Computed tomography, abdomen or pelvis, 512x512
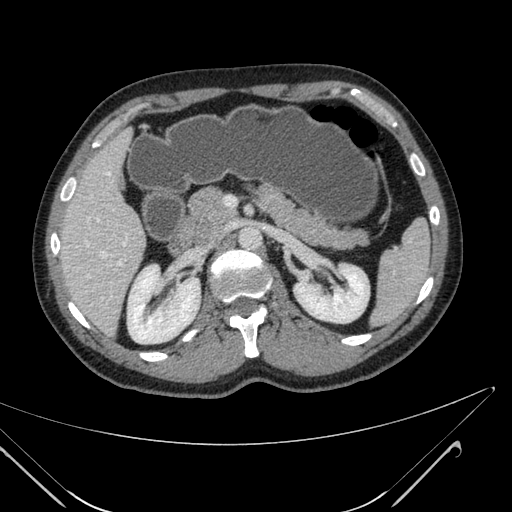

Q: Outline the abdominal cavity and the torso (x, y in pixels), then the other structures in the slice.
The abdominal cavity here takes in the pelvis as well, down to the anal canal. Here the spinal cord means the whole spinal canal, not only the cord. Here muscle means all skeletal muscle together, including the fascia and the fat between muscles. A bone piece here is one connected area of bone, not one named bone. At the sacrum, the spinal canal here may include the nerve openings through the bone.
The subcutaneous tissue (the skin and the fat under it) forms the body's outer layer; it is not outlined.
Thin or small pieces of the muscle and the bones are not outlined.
A: The abdominal cavity is outlined by [[139,350],[171,345],[191,328],[207,269],[230,248],[255,252],[273,264],[300,310],[333,330],[373,331],[397,319],[415,300],[431,260],[431,224],[398,135],[346,94],[278,100],[232,92],[143,111],[103,140],[65,209],[60,265],[68,292],[89,323]]. The torso is outlined by [[200,399],[218,399],[254,382],[314,393],[369,379],[419,346],[452,301],[463,266],[462,224],[452,184],[414,115],[367,73],[335,64],[292,62],[191,68],[145,77],[99,102],[53,167],[39,202],[31,245],[35,291],[47,320],[87,368],[114,385]]. The bones appear in 12 outlined pieces: piece 1: [[249,358],[259,355],[255,343],[257,327],[264,321],[268,313],[263,298],[269,290],[273,278],[268,266],[258,255],[246,250],[230,249],[218,255],[212,262],[210,288],[213,295],[225,305],[225,318],[229,326],[235,327],[241,332],[245,343],[244,353]] with a hole at [[243,317],[246,317],[247,316],[248,316],[257,308],[257,301],[255,299],[254,299],[253,298],[249,298],[248,297],[245,297],[244,296],[241,296],[240,297],[237,298],[235,300],[234,300],[231,303],[231,308],[232,309],[232,312],[233,313],[237,313]]; piece 2: [[392,127],[396,127],[398,125],[398,123],[394,118],[394,117],[381,104],[377,102],[369,95],[357,88],[351,88],[349,89],[349,93],[352,97],[360,101],[366,107],[369,108],[377,116],[380,117],[387,124],[390,125]]; piece 3: [[93,148],[100,146],[101,145],[100,144],[101,141],[103,139],[106,138],[124,121],[126,121],[130,115],[135,113],[138,110],[147,106],[149,103],[147,102],[143,102],[142,103],[137,104],[129,108],[124,113],[111,120],[96,136],[92,142],[91,146]]; piece 4: [[62,201],[67,201],[71,197],[71,196],[73,194],[73,193],[75,190],[75,188],[76,187],[76,184],[77,183],[77,180],[76,179],[76,178],[74,176],[70,176],[66,180],[66,181],[64,183],[64,184],[61,189],[61,191],[60,192],[60,199]]; piece 5: [[347,345],[358,345],[359,344],[361,344],[367,341],[372,336],[372,332],[367,332],[366,333],[362,333],[361,334],[354,334],[353,335],[349,335],[346,337],[344,337],[342,338],[341,339],[341,342]]; piece 6: [[419,176],[424,176],[425,175],[425,174],[426,173],[425,172],[425,168],[424,167],[421,160],[419,158],[419,157],[414,152],[411,152],[407,157],[407,158],[408,159],[408,162],[410,165],[410,167],[412,169],[412,170],[414,172],[414,173],[415,173]]; piece 7: [[415,305],[420,303],[429,294],[429,293],[430,292],[430,290],[433,285],[433,280],[434,279],[433,278],[433,276],[430,275],[429,276],[428,276],[425,280],[423,285],[420,289],[420,291],[418,294],[418,296],[414,303],[414,304]]; piece 8: [[147,361],[159,361],[160,360],[163,360],[164,359],[165,359],[166,358],[167,358],[167,357],[168,356],[168,355],[166,353],[163,353],[160,351],[139,351],[138,352],[138,354],[139,355],[139,356],[141,358],[142,358],[143,359],[144,359]]; piece 9: [[88,329],[90,329],[92,327],[85,319],[85,318],[83,316],[81,312],[77,308],[75,304],[71,300],[68,301],[67,303],[67,305],[72,315],[83,326],[84,326]]; piece 10: [[433,225],[438,225],[438,224],[440,221],[440,215],[439,214],[439,210],[438,209],[438,208],[437,207],[437,206],[434,204],[433,204],[432,205],[431,205],[428,207],[428,215],[429,216],[429,219],[430,220],[430,221],[431,222],[431,223]]; piece 11: [[54,256],[56,256],[58,254],[58,252],[59,251],[59,237],[58,236],[58,234],[55,231],[54,231],[53,232],[52,232],[52,233],[51,234],[51,236],[50,237],[50,248],[51,249],[51,251],[52,252],[52,253],[53,254],[53,255]]; piece 12: [[183,341],[189,341],[190,340],[191,340],[192,339],[192,338],[200,330],[200,328],[194,328],[193,329],[190,329],[187,332],[186,332],[182,336],[182,340]]. The muscle is outlined by [[184,383],[216,380],[251,359],[243,353],[240,332],[228,326],[224,305],[210,291],[209,269],[202,309],[192,326],[201,330],[189,342],[180,338],[159,350],[169,355],[163,361],[147,362],[138,350],[86,329],[67,308],[71,298],[49,237],[54,230],[60,235],[68,202],[59,199],[60,189],[70,175],[78,182],[100,147],[90,146],[95,136],[111,119],[143,101],[150,104],[130,118],[152,107],[232,91],[289,99],[330,93],[336,86],[349,95],[348,89],[357,87],[395,117],[399,125],[393,129],[407,156],[414,151],[426,168],[424,177],[415,174],[426,206],[434,203],[440,210],[439,225],[431,225],[429,275],[434,285],[420,304],[374,331],[367,342],[347,346],[340,339],[348,335],[299,310],[278,270],[268,265],[274,280],[264,298],[269,313],[258,327],[260,355],[254,358],[297,375],[318,376],[349,368],[407,334],[427,315],[442,283],[448,247],[444,201],[428,160],[387,101],[361,85],[339,80],[153,93],[123,103],[84,139],[56,188],[46,227],[45,255],[56,304],[79,341],[114,364]]. The spinal cord is outlined by [[243,317],[246,317],[247,316],[248,316],[257,308],[257,301],[255,299],[254,299],[253,298],[249,298],[248,297],[245,297],[244,296],[241,296],[240,297],[237,298],[235,300],[234,300],[231,303],[231,308],[232,309],[232,312],[233,313],[237,313]].